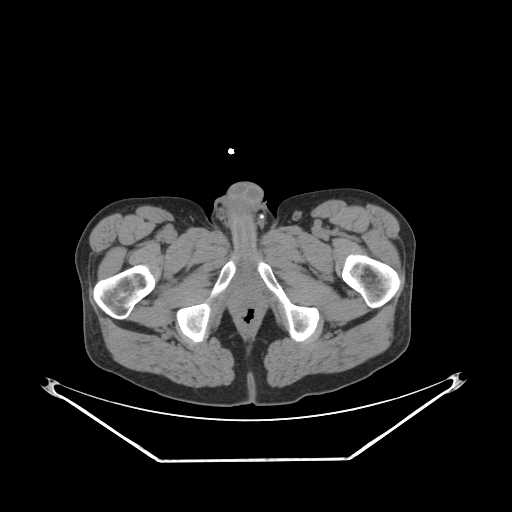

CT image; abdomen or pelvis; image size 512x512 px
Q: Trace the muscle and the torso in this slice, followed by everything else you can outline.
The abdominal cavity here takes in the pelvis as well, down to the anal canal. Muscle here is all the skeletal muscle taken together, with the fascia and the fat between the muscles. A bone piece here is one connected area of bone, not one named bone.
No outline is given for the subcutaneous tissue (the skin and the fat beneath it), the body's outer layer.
A: {"muscle":[{"outer":[[333,198],[375,203],[393,213],[401,224],[405,286],[396,306],[394,337],[384,352],[344,371],[307,375],[292,384],[271,387],[265,379],[264,353],[285,334],[269,311],[250,342],[238,333],[231,315],[222,314],[218,338],[232,353],[236,368],[234,380],[224,387],[186,386],[127,368],[111,358],[88,297],[88,237],[101,218],[131,204],[158,206],[186,223],[218,229],[232,248],[247,250],[266,231],[296,224],[320,202]],"holes":[[[138,264],[143,264],[147,266],[151,273],[156,279],[155,286],[150,293],[142,298],[134,305],[129,315],[125,319],[122,319],[121,320],[115,319],[105,313],[98,306],[94,300],[93,297],[93,288],[94,285],[101,279],[114,275],[122,271],[124,269]],[[349,254],[365,254],[368,255],[372,258],[379,260],[389,265],[397,272],[400,279],[400,285],[395,294],[389,301],[380,307],[377,308],[371,308],[366,304],[362,296],[357,291],[350,287],[343,281],[341,277],[341,271],[345,259]],[[259,261],[263,261],[271,267],[274,275],[286,295],[292,303],[296,305],[315,307],[318,309],[320,316],[316,329],[309,337],[303,341],[295,341],[290,336],[288,332],[287,320],[284,311],[278,302],[278,300],[274,294],[267,287],[257,270],[257,264]],[[231,259],[233,260],[236,266],[235,273],[226,288],[210,302],[211,311],[210,312],[210,316],[206,329],[206,336],[202,341],[194,342],[182,333],[176,321],[176,311],[182,307],[185,307],[194,304],[199,304],[204,302],[209,296],[221,268],[226,262]],[[244,274],[251,274],[253,275],[256,278],[257,281],[259,282],[265,294],[265,307],[264,310],[262,313],[262,315],[254,333],[250,337],[244,335],[242,332],[241,329],[236,322],[233,308],[232,307],[232,287],[234,285],[234,283],[236,280],[240,276]]]}],"torso":[[[242,180],[263,189],[273,213],[290,196],[336,187],[371,191],[400,211],[416,242],[407,349],[360,381],[277,406],[213,407],[181,402],[99,369],[84,348],[81,288],[74,263],[78,239],[90,218],[118,199],[161,195],[193,200],[209,215],[215,198]]],"abdominal_cavity":[[[244,274],[251,274],[253,275],[256,278],[257,281],[259,282],[265,294],[265,307],[264,310],[262,313],[262,315],[254,333],[250,337],[244,335],[242,332],[241,329],[236,322],[233,308],[232,307],[232,287],[234,285],[234,283],[236,280],[240,276]]],"bones":[[[138,264],[143,264],[147,266],[151,273],[156,279],[155,286],[150,293],[142,298],[134,305],[129,315],[125,319],[122,319],[121,320],[115,319],[105,313],[98,306],[94,300],[93,297],[93,288],[94,285],[101,279],[114,275],[122,271],[124,269]],[[349,254],[365,254],[368,255],[372,258],[379,260],[389,265],[397,272],[400,279],[400,285],[395,294],[389,301],[380,307],[377,308],[371,308],[366,304],[362,296],[357,291],[350,287],[343,281],[341,277],[341,271],[345,259]],[[259,261],[263,261],[271,267],[274,275],[286,295],[292,303],[296,305],[315,307],[318,309],[320,316],[316,329],[309,337],[303,341],[295,341],[290,336],[288,332],[287,320],[284,311],[278,302],[278,300],[274,294],[267,287],[257,270],[257,264]],[[231,259],[233,260],[236,266],[235,273],[226,288],[210,302],[211,311],[210,312],[210,316],[206,329],[206,336],[202,341],[194,342],[182,333],[176,321],[176,311],[182,307],[185,307],[194,304],[199,304],[204,302],[209,296],[221,268],[226,262]]]}